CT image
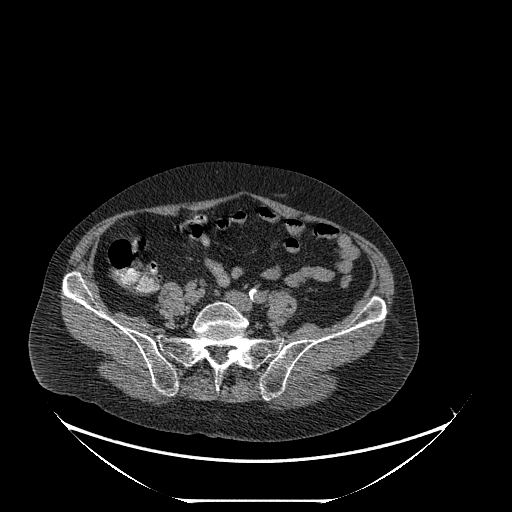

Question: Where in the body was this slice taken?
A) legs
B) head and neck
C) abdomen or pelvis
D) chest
Answer: C) abdomen or pelvis
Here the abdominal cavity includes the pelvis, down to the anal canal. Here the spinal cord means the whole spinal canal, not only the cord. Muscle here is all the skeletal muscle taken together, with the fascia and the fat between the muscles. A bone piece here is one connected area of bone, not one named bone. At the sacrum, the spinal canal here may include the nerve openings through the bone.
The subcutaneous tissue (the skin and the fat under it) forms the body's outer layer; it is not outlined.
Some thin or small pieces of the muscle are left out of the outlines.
Outlines:
torso: 210,160 273,166 314,177 353,200 387,234 411,279 419,351 404,384 385,405 347,426 324,434 288,441 254,442 145,427 75,396 52,392 37,382 28,355 29,327 47,265 62,239 94,209 135,182 178,165
bones: 71,270 98,309 153,338 192,336 198,312 217,300 248,320 250,336 285,343 351,326 374,294 387,312 308,349 269,401 259,388 264,365 232,364 217,392 205,361 180,367 178,391 166,396 126,334 63,294 with a hole at 215,347 219,347 220,348 221,348 222,347 226,347 227,348 228,348 226,351 226,359 220,363 219,363 218,362 217,362 216,361 216,360 212,356 211,357 211,356 210,355 210,352 209,351 209,348 214,348
muscle 1: 242,190 325,217 360,234 383,253 393,273 395,297 384,332 371,350 338,369 341,386 322,401 288,409 271,408 266,402 285,391 295,364 308,350 319,343 378,323 387,315 386,300 374,293 347,327 316,338 305,337 288,342 278,335 279,331 293,332 307,322 320,328 330,327 352,311 370,286 374,275 369,256 342,229 320,220 287,217 247,195 206,209 175,215 138,212 116,220 99,235 96,243 92,276 99,294 112,312 142,316 170,335 157,333 153,337 120,323 98,308 94,294 79,270 71,269 62,277 67,261 82,236 108,217 128,210 219,198
muscle 2: 61,278 66,298 109,322 135,344 159,393 174,397 180,387 180,368 199,362 213,370 217,393 224,372 232,365 253,371 264,366 258,378 264,401 181,397 156,405 124,393 92,366 96,353 66,330 60,312
muscle 3: 167,282 175,282 181,287 182,294 184,298 184,305 185,306 185,309 183,311 183,313 179,315 176,315 173,318 173,320 171,322 168,319 165,318 160,313 157,307 157,305 158,304 158,295 162,288 162,286
muscle 4: 282,291 283,292 287,292 290,295 295,298 297,303 297,306 295,310 295,313 291,317 288,318 283,324 281,325 278,325 277,324 273,324 271,320 269,319 267,316 267,311 268,310 268,298 273,292 281,292
abdominal cavity: 241,196 287,218 328,224 359,244 373,275 347,315 330,326 307,321 293,331 261,337 250,335 249,320 233,304 217,299 197,312 192,335 180,336 142,315 108,307 93,262 100,235 110,226 138,213 175,216, around a hole outlined by 167,282 175,282 181,287 182,294 184,298 184,305 185,306 185,309 183,311 183,313 179,315 176,315 173,318 173,320 171,322 168,319 165,318 160,313 157,307 157,305 158,304 158,295 162,288 162,286
spinal cord: 215,347 219,347 220,348 221,348 222,347 226,347 227,348 228,348 226,351 226,359 220,363 219,363 218,362 217,362 216,361 216,360 212,356 211,357 211,356 210,355 210,352 209,351 209,348 214,348